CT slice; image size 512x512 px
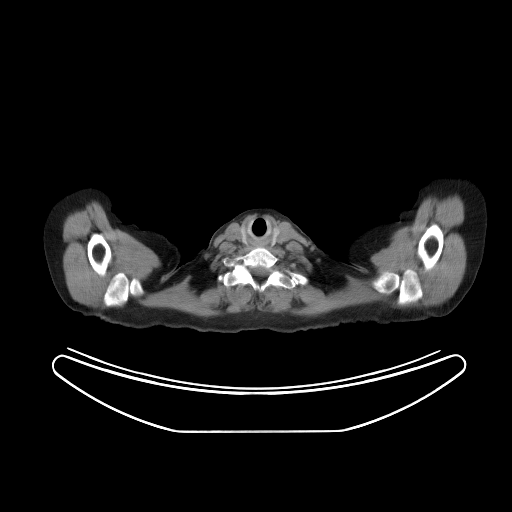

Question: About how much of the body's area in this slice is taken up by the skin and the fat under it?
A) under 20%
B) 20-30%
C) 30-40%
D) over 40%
Answer: C) 30-40%
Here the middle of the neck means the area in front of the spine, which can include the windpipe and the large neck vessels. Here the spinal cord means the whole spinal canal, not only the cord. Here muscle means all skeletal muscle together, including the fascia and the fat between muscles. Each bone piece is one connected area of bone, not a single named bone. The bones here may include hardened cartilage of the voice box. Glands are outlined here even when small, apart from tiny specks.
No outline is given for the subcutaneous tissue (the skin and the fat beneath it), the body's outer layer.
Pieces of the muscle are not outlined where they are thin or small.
Outlines:
thyroid glands 1: [[274,225],[276,225],[278,227],[278,229],[279,230],[279,232],[280,233],[279,234],[279,235],[278,236],[278,237],[277,238],[277,239],[275,242],[275,244],[273,246],[272,246],[271,245],[271,240],[272,239],[272,236],[273,235],[273,228],[274,227]]
thyroid glands 2: [[242,225],[243,225],[244,226],[244,229],[245,230],[245,235],[246,236],[246,242],[244,242],[243,241],[242,241],[242,240],[241,239],[241,238],[240,237],[240,234],[239,233],[239,231],[240,230],[240,226],[241,226]]
bones 1: [[254,247],[267,248],[278,258],[277,264],[280,267],[284,270],[289,269],[305,275],[308,282],[303,285],[297,284],[290,289],[270,285],[261,293],[255,291],[249,284],[225,286],[221,281],[217,280],[217,276],[232,268],[226,266],[222,260],[243,255]] with a hole at [[255,267],[262,267],[263,268],[266,269],[269,272],[269,273],[268,274],[268,275],[266,277],[266,278],[263,281],[262,281],[261,282],[259,282],[258,281],[257,281],[254,278],[254,277],[253,276],[253,275],[250,270],[250,269],[251,268],[254,268]]
bones 2: [[408,268],[412,268],[417,272],[423,293],[421,299],[415,304],[406,305],[405,306],[397,306],[395,304],[395,300],[398,294],[397,290],[395,290],[391,293],[381,293],[377,291],[371,284],[371,280],[377,274],[377,272],[379,270],[389,271],[401,275]]
bones 3: [[118,272],[123,272],[129,279],[131,279],[134,277],[139,277],[141,279],[142,284],[145,290],[145,293],[140,297],[134,297],[132,295],[130,295],[128,297],[128,301],[127,303],[121,307],[106,307],[103,303],[104,293],[111,278],[113,275]]
bones 4: [[433,223],[437,224],[443,233],[443,245],[442,246],[442,249],[441,250],[441,253],[439,256],[439,258],[437,260],[433,268],[429,271],[424,271],[422,263],[420,259],[417,256],[417,247],[418,246],[418,243],[419,242],[420,238],[426,229]]
bones 5: [[94,232],[100,233],[103,236],[103,237],[107,242],[111,251],[111,261],[108,265],[108,268],[107,269],[106,274],[105,276],[103,277],[99,276],[93,270],[90,264],[89,259],[88,258],[88,254],[87,253],[87,243],[88,242],[88,240],[90,236]]
muscle: [[453,193],[465,203],[468,258],[454,294],[439,305],[393,309],[374,303],[309,318],[270,312],[204,318],[138,305],[113,308],[146,293],[139,276],[129,278],[123,271],[113,274],[105,288],[106,308],[74,300],[65,282],[62,222],[91,199],[101,203],[114,227],[160,257],[163,266],[155,275],[166,282],[202,262],[230,223],[254,212],[289,222],[324,262],[364,272],[368,257],[386,245],[388,236],[413,221],[424,197]] with holes at [[259,214],[287,237],[286,243],[267,248],[278,258],[277,264],[284,270],[305,275],[306,284],[297,284],[290,289],[270,285],[258,293],[249,284],[225,286],[217,280],[219,274],[232,269],[223,263],[224,258],[243,255],[252,248],[236,243],[235,233]] and at [[408,268],[412,268],[417,272],[423,293],[421,299],[415,304],[406,305],[405,306],[397,306],[395,304],[395,300],[398,294],[397,290],[395,290],[391,293],[381,293],[377,291],[371,284],[371,280],[377,274],[377,272],[379,270],[389,271],[401,275]] and at [[433,223],[437,224],[443,233],[443,245],[442,246],[442,249],[441,250],[441,253],[439,256],[439,258],[437,260],[433,268],[429,271],[424,271],[422,263],[420,259],[417,256],[417,247],[418,246],[418,243],[419,242],[420,238],[426,229]] and at [[94,232],[100,233],[103,236],[103,237],[107,242],[111,251],[111,261],[108,265],[108,268],[107,269],[106,274],[105,276],[103,277],[99,276],[93,270],[90,264],[89,259],[88,258],[88,254],[87,253],[87,243],[88,242],[88,240],[90,236]]
spinal cord: [[255,267],[262,267],[263,268],[266,269],[269,272],[269,273],[268,274],[268,275],[266,277],[266,278],[263,281],[262,281],[261,282],[259,282],[258,281],[257,281],[254,278],[254,277],[253,276],[253,275],[250,270],[250,269],[251,268],[254,268]]
left arm: [[440,174],[462,175],[475,182],[485,197],[488,219],[484,254],[472,286],[450,313],[445,316],[436,317],[427,309],[422,286],[418,277],[413,272],[378,272],[350,262],[345,254],[350,241],[364,230],[381,222],[396,221],[401,211],[412,207],[419,188]]
middle of the neck 1: [[259,214],[267,218],[273,224],[272,235],[270,240],[270,245],[271,246],[269,247],[265,247],[264,246],[246,247],[236,243],[235,242],[235,233],[236,232],[239,234],[239,237],[242,242],[244,243],[247,242],[245,225],[250,219],[255,216],[257,216]]
middle of the neck 2: [[280,234],[284,234],[287,237],[287,242],[286,243],[284,243],[283,244],[281,244],[280,245],[275,245],[276,244],[276,242],[277,241],[277,240],[278,239],[278,238],[279,237],[279,236],[280,235]]
right arm: [[90,186],[101,189],[109,196],[113,212],[123,223],[134,223],[141,229],[149,229],[163,234],[181,249],[182,257],[174,267],[161,274],[118,280],[108,288],[96,309],[86,317],[71,310],[58,295],[48,271],[42,234],[44,221],[53,204],[70,192]]
torso: [[261,205],[287,215],[319,247],[340,261],[346,259],[382,274],[413,273],[421,286],[424,305],[435,317],[386,325],[358,322],[293,333],[264,329],[214,333],[163,326],[134,329],[90,316],[118,281],[158,276],[187,262],[208,244],[222,224],[243,210]]